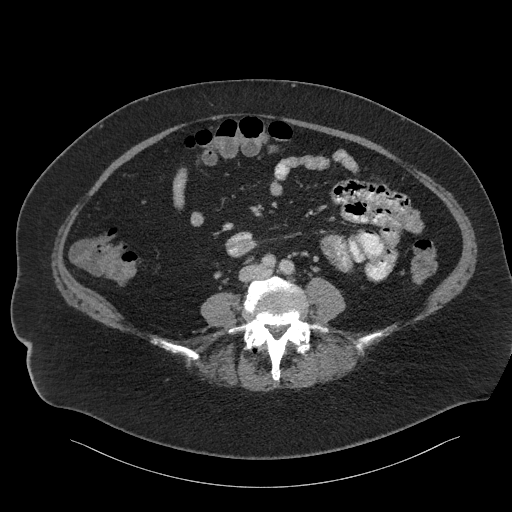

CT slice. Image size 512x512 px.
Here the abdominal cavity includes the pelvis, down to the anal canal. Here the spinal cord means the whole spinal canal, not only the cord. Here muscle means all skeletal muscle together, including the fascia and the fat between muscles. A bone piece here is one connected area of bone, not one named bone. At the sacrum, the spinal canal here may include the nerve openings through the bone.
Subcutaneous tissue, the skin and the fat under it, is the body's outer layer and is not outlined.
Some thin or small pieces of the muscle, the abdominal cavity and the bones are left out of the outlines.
Outlines:
abdominal cavity: 246,115 373,150 443,202 461,252 421,308 370,331 343,329 330,323 347,306 330,281 315,276 302,288 273,274 252,280 242,303 232,291 207,297 206,325 179,340 140,329 74,277 68,233 116,169 183,127
torso: 246,78 304,81 361,95 433,131 469,163 495,211 511,273 511,354 487,399 452,407 395,433 337,451 238,459 154,443 39,397 27,370 27,348 15,336 10,320 16,223 31,186 70,143 119,107 176,86
bones 1: 273,275 303,289 308,305 302,320 328,329 327,332 312,330 310,347 304,353 298,353 293,343 287,345 280,361 279,381 272,378 271,361 263,346 245,349 242,332 227,332 247,320 243,315 243,301 249,284, around a hole outlined by 268,326 286,326 286,328 285,329 285,330 284,331 284,332 278,338 275,338 273,336 273,335 270,332 270,329 268,327
bones 2: 150,335 156,335 176,344 186,346 196,351 200,356 197,360 193,360 192,359 189,359 186,356 183,355 181,353 179,353 178,352 173,353 169,350 166,350 158,345 155,345 151,343 150,342
bones 3: 392,324 396,324 397,326 393,330 389,331 386,335 384,335 381,337 377,337 375,338 367,345 365,345 361,351 355,348 355,344 360,337 364,335 366,335 369,333 371,333 374,331 376,331 380,329 383,329
muscle: 228,112 281,115 353,133 381,145 433,178 453,194 475,234 475,271 461,293 425,319 374,345 363,361 336,380 264,392 217,386 190,371 179,357 166,351 193,361 200,354 165,338 183,341 198,336 198,330 207,325 200,306 213,294 232,292 241,296 246,320 226,332 242,333 245,350 263,347 270,361 271,378 279,382 281,361 288,345 293,344 298,354 304,354 311,347 312,331 329,331 325,325 302,319 309,305 304,288 312,278 327,280 343,297 345,309 329,321 332,326 355,332 373,331 360,336 354,344 361,352 375,339 393,331 398,325 392,323 421,309 432,290 455,267 462,252 461,230 444,202 392,159 351,140 282,119 246,114 195,122 144,148 108,176 78,212 67,233 63,261 69,272 103,296 128,322 155,334 149,335 149,342 154,345 106,326 68,305 55,285 51,254 57,231 73,206 104,169 132,146 176,124 with a hole at 209,328 216,328 217,329 219,329 219,330 218,330 217,331 216,331 215,332 216,333 217,333 216,334 213,334 213,333 212,332 208,332 207,333 206,333 207,332 207,331 208,330 208,329
spinal cord: 268,326 286,326 286,328 285,329 285,330 284,331 284,332 278,338 275,338 273,336 273,335 270,332 270,329 268,327